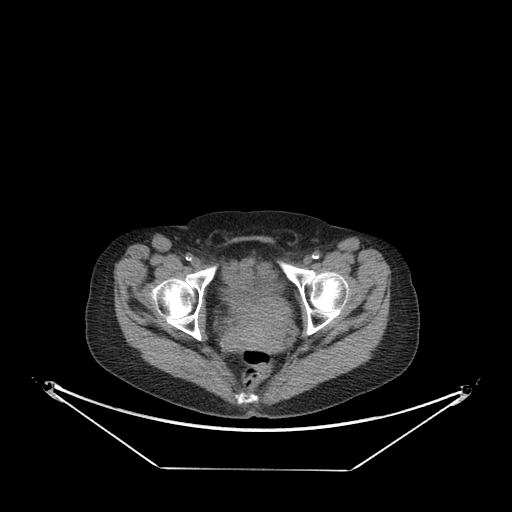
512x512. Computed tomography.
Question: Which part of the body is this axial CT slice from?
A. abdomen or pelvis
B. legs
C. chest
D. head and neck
Answer: A. abdomen or pelvis
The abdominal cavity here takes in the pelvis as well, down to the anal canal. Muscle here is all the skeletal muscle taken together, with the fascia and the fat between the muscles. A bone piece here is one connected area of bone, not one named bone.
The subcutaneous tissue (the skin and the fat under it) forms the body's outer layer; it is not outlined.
{"muscle":[{"outer":[[152,233],[163,234],[203,257],[231,237],[244,235],[269,236],[286,250],[300,255],[349,236],[374,242],[387,259],[391,270],[388,321],[382,339],[367,362],[300,394],[260,408],[233,405],[192,382],[148,364],[125,340],[114,309],[114,264],[129,245]],"holes":[[[244,241],[272,246],[279,251],[278,259],[297,267],[336,272],[349,287],[339,314],[310,335],[295,287],[301,342],[255,391],[239,384],[208,341],[207,285],[197,318],[201,341],[168,323],[150,295],[168,278],[183,279],[210,265],[219,266],[220,249]],[[241,391],[249,391],[250,392],[252,392],[253,393],[255,393],[258,396],[258,400],[256,402],[251,402],[250,403],[242,403],[241,404],[238,404],[237,403],[237,400],[236,399],[236,398],[235,397],[235,394],[237,394],[238,393],[239,393]]]}],"bones":[[[278,259],[281,259],[300,268],[305,268],[313,270],[317,273],[321,273],[326,271],[336,272],[341,275],[348,284],[349,287],[348,298],[339,314],[325,326],[310,335],[306,334],[307,313],[305,306],[302,301],[300,293],[297,287],[283,272],[277,262]],[[213,264],[217,264],[218,266],[213,278],[204,288],[202,302],[198,312],[198,327],[202,338],[202,340],[199,341],[191,335],[168,323],[158,313],[155,308],[154,302],[151,298],[150,291],[153,287],[168,278],[174,277],[183,279],[187,274],[194,273]],[[241,391],[249,391],[250,392],[252,392],[253,393],[255,393],[258,396],[258,400],[256,402],[251,402],[250,403],[242,403],[241,404],[238,404],[237,403],[237,400],[236,399],[236,398],[235,397],[235,394],[237,394],[238,393],[239,393]]],"abdominal_cavity":[[[244,241],[258,241],[279,251],[276,262],[295,286],[294,291],[300,309],[302,327],[299,336],[301,342],[287,356],[280,369],[265,385],[255,391],[246,389],[239,384],[235,374],[209,343],[206,328],[208,285],[214,278],[222,261],[218,252],[231,244]]],"torso":[[[226,209],[301,212],[334,225],[379,236],[395,245],[410,267],[420,311],[419,344],[408,368],[380,387],[316,413],[245,420],[205,415],[173,405],[128,385],[101,367],[87,347],[84,323],[90,275],[100,252],[112,239],[130,229],[183,224],[197,215]]]}